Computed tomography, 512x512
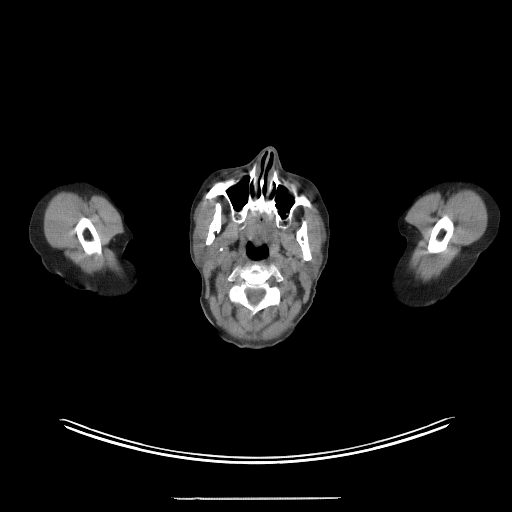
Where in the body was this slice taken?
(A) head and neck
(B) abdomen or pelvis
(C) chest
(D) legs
(A) head and neck
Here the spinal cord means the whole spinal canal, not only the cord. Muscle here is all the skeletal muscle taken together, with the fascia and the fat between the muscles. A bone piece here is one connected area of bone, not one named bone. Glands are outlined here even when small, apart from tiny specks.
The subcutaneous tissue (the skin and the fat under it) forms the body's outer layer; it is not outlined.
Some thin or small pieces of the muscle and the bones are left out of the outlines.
Outlines (x, y in pixels):
spinal cord: 246,289 263,289 264,290 264,295 263,296 263,297 256,304 252,304 251,303 250,303 249,302 249,301 248,300 248,298 247,297 247,295 246,294
right arm: 75,180 87,181 105,190 122,210 125,222 132,232 133,237 127,244 123,254 135,264 139,283 132,291 125,295 102,297 90,291 78,290 66,285 61,277 45,269 40,256 29,242 29,220 38,199 52,187
bones 1: 255,163 258,172 264,169 265,177 275,169 281,181 293,183 312,205 298,205 284,229 262,216 249,216 241,229 231,219 222,195 204,198 216,182 241,179 227,190 233,207 239,210 249,192 254,193 246,175, around a hole outlined by 279,186 282,186 285,188 287,192 291,195 293,198 293,202 291,204 289,209 286,213 286,215 284,217 280,214 280,212 276,205 276,194 275,193 273,194 272,196 271,195 273,190 275,191 279,187
bones 2: 254,261 258,261 264,265 270,264 275,265 278,268 283,277 283,279 277,284 280,290 280,302 279,304 268,306 256,315 250,317 249,311 243,305 230,301 228,293 233,283 228,280 227,278 236,266 249,265, around a hole outlined by 246,289 263,289 264,290 264,295 263,296 263,297 256,304 252,304 251,303 250,303 249,302 249,301 248,300 248,298 247,297 247,295 246,294
bones 3: 443,215 447,215 453,222 453,224 454,225 453,233 449,239 449,241 447,244 446,249 444,251 440,252 439,253 427,253 426,252 426,246 427,245 428,240 430,237 430,232 431,231 431,229 435,223
bones 4: 83,216 85,217 87,217 91,220 99,236 99,238 101,242 101,254 100,255 98,255 97,254 93,254 92,255 86,255 83,249 83,247 81,245 78,239 77,234 74,231 74,227 78,222 79,219
bones 5: 217,201 219,202 221,205 221,229 219,232 215,234 215,237 211,244 209,245 206,245 205,244 205,241 206,240 206,237 208,232 208,228 213,217 213,214 215,209 214,204 215,202
bones 6: 303,220 305,220 307,224 307,236 308,237 308,242 309,243 309,247 310,248 310,251 311,252 311,258 309,261 306,261 303,259 302,257 302,250 301,249 301,247 296,239 296,231 300,227 302,223 302,221
muscle 1: 244,168 250,168 241,178 218,180 203,195 206,200 222,196 227,202 230,219 240,225 241,230 249,217 272,219 278,229 284,230 292,222 298,206 313,207 293,182 280,179 278,171 311,190 325,229 322,253 317,253 305,268 313,278 306,303 289,329 266,341 241,340 217,325 205,298 206,284 201,267 207,249 194,233 193,213 208,183 221,174; inner edges: 254,261 258,261 264,265 270,264 275,265 278,268 283,277 283,279 277,284 280,290 280,302 279,304 268,306 256,315 250,317 249,311 243,305 230,301 228,293 233,283 228,280 227,278 236,266 249,265, then 217,201 219,202 221,205 221,229 219,232 215,234 215,237 211,244 209,245 206,245 205,244 205,241 206,240 206,237 208,232 208,228 213,217 213,214 215,209 214,204 215,202, then 303,220 305,220 307,224 307,236 308,237 308,242 309,243 309,247 310,248 310,251 311,252 311,258 309,261 306,261 303,259 302,257 302,250 301,249 301,247 296,239 296,231 300,227 302,223 302,221, then 248,243 251,243 252,245 256,248 258,248 264,245 265,246 267,246 267,249 268,250 267,252 267,255 266,255 264,257 261,257 257,259 250,257 250,256 248,255 247,253 247,249 246,248 247,247 247,244
muscle 2: 453,188 471,188 482,196 486,204 488,213 487,227 483,235 478,240 461,248 459,255 436,279 422,282 415,279 414,275 407,269 410,255 415,246 415,234 406,222 405,215 415,202 425,194 437,190 439,191; inner edge: 443,215 447,215 453,222 453,224 454,225 453,233 449,239 449,241 447,244 446,249 444,251 440,252 439,253 427,253 426,252 426,246 427,245 428,240 430,237 430,232 431,231 431,229 435,223
muscle 3: 60,191 94,193 101,195 106,198 118,212 121,218 124,231 112,244 111,248 125,268 124,276 121,277 110,274 98,274 95,276 88,276 68,260 64,256 61,250 53,248 49,245 43,232 44,210 49,200, around a hole outlined by 83,216 85,217 87,217 91,220 99,236 99,238 101,242 101,254 100,255 98,255 97,254 93,254 92,255 86,255 83,249 83,247 81,245 78,239 77,234 74,231 74,227 78,222 79,219
parotid glands 1: 194,234 196,235 199,241 205,247 206,249 205,258 201,266 199,266 198,265 195,259 195,256 194,255 194,252 193,251 193,245 192,244 192,239 193,238 193,235
parotid glands 2: 320,253 321,253 322,254 322,259 321,260 320,265 315,274 315,276 314,277 313,277 308,272 307,272 306,271 306,268 307,267 307,265 308,264 309,264 311,262 311,261 313,259 313,258 317,254 319,254
left arm: 456,178 473,181 487,189 494,197 501,214 496,238 492,244 479,255 477,262 467,276 445,299 439,300 435,304 427,307 406,307 396,301 389,287 392,270 406,246 406,239 398,230 397,220 420,192 437,182
head and neck: 268,145 276,148 284,169 304,176 316,185 328,211 330,237 328,259 318,279 313,302 295,331 287,339 272,347 252,350 224,341 202,311 199,302 201,278 189,252 189,214 200,185 210,173 221,168 245,164, around holes outlined by 245,176 247,176 248,177 247,182 250,186 251,185 252,186 253,193 249,191 247,194 247,199 245,203 244,203 239,209 236,209 234,207 232,200 228,194 228,190 232,186 234,186 237,184 242,179 242,178 and by 279,186 282,186 285,188 287,192 291,195 293,198 293,202 291,204 289,209 286,213 286,215 284,217 280,214 280,212 276,205 276,194 275,193 273,194 272,196 271,195 273,190 275,191 279,187 and by 248,243 251,243 252,245 256,248 258,248 264,245 265,246 267,246 267,249 268,250 267,252 267,255 266,255 264,257 261,257 257,259 250,257 250,256 248,255 247,253 247,249 246,248 247,247 247,244 and by 271,154 272,154 272,163 271,164 271,166 270,167 270,168 268,170 268,171 267,172 267,174 266,175 266,176 265,176 265,169 267,167 267,165 268,164 268,163 270,161 270,160 271,159